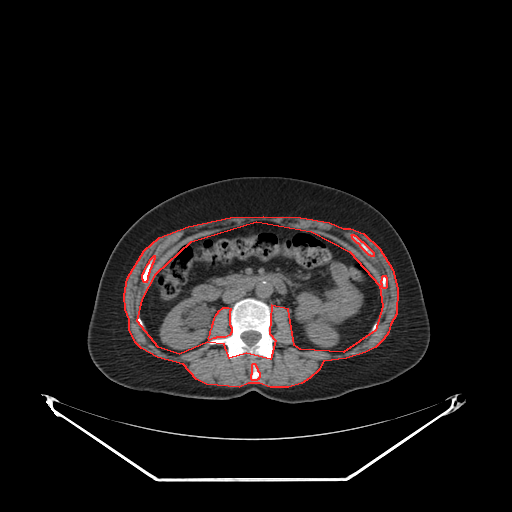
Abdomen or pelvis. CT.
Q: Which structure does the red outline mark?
A: red: muscle.
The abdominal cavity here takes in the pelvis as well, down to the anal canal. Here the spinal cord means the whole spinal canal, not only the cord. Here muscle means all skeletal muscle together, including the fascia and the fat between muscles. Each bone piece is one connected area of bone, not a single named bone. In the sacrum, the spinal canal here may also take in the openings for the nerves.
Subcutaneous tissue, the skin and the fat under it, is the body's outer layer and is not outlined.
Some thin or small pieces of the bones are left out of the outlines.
{"muscle":[{"outer":[[263,216],[300,217],[329,222],[343,228],[350,228],[363,233],[379,248],[392,269],[397,288],[396,314],[390,324],[388,332],[383,339],[375,347],[365,352],[346,358],[323,361],[318,370],[309,378],[301,383],[288,387],[270,387],[259,383],[248,383],[239,387],[206,384],[196,379],[183,364],[157,357],[141,348],[136,343],[129,330],[129,319],[125,309],[124,295],[127,278],[144,250],[159,237],[188,226],[230,217]],"holes":[[[256,221],[311,231],[349,251],[379,285],[382,306],[375,330],[343,352],[300,349],[294,345],[288,309],[271,305],[269,333],[275,340],[270,359],[246,353],[229,358],[224,344],[207,342],[179,354],[158,347],[137,321],[142,299],[156,273],[191,241]],[[352,234],[353,234],[354,235],[355,235],[361,241],[362,241],[373,252],[373,256],[371,256],[370,255],[369,255],[360,246],[360,245],[358,243],[357,243],[352,238],[352,236],[351,235]],[[154,255],[154,259],[153,260],[153,262],[151,265],[151,267],[149,270],[149,272],[148,273],[148,275],[147,276],[147,280],[146,281],[146,282],[144,282],[142,279],[142,274],[143,273],[143,272],[144,271],[147,264],[149,262],[150,259]],[[253,363],[254,363],[255,364],[255,365],[256,366],[256,367],[257,368],[257,370],[259,372],[259,377],[258,378],[258,379],[257,379],[256,380],[252,380],[251,379],[251,374],[252,373],[252,364]],[[383,275],[385,275],[385,276],[386,277],[386,287],[385,288],[383,288],[382,287],[382,284],[381,283],[381,280],[382,279],[382,276]]]},[[223,307],[228,307],[230,308],[230,310],[229,311],[229,324],[231,327],[231,332],[229,335],[225,337],[216,337],[215,338],[213,338],[209,340],[208,338],[210,334],[210,331],[212,327],[212,324],[213,323],[214,318],[216,314],[218,312],[218,311]]],"abdominal_cavity":[[[256,221],[329,238],[372,273],[379,285],[382,306],[359,343],[337,353],[300,349],[294,345],[288,309],[270,306],[254,297],[239,299],[231,308],[221,307],[213,318],[207,342],[198,348],[172,354],[152,341],[140,307],[156,273],[168,258],[193,240]]],"bones":[{"outer":[[244,298],[260,300],[270,307],[272,323],[269,328],[269,333],[275,340],[272,344],[273,353],[270,359],[261,355],[250,357],[246,353],[229,358],[227,356],[228,349],[224,344],[208,343],[210,340],[225,338],[231,334],[230,311],[236,302]],"hole":[[246,331],[256,331],[257,332],[258,332],[260,334],[260,338],[254,344],[253,344],[252,345],[248,345],[241,338],[241,335],[242,334],[242,333],[243,332],[245,332]]},[[352,234],[353,234],[354,235],[355,235],[361,241],[362,241],[373,252],[373,256],[371,256],[370,255],[369,255],[360,246],[360,245],[358,243],[357,243],[352,238],[352,236],[351,235]],[[154,255],[154,259],[153,260],[153,262],[151,265],[151,267],[149,270],[149,272],[148,273],[148,275],[147,276],[147,280],[146,281],[146,282],[144,282],[142,279],[142,274],[143,273],[143,272],[144,271],[147,264],[149,262],[150,259]]],"spinal_cord":[[[246,331],[256,331],[257,332],[258,332],[260,334],[260,338],[254,344],[253,344],[252,345],[248,345],[241,338],[241,335],[242,334],[242,333],[243,332],[245,332]]],"torso":[[[241,176],[284,176],[331,186],[363,199],[386,217],[410,254],[429,318],[429,345],[417,364],[387,382],[334,398],[300,403],[269,399],[256,391],[224,400],[139,391],[110,380],[95,366],[86,344],[88,323],[101,274],[120,237],[160,202],[196,186]]]}